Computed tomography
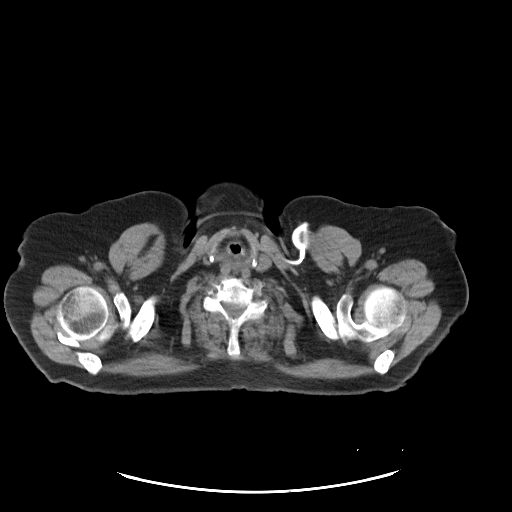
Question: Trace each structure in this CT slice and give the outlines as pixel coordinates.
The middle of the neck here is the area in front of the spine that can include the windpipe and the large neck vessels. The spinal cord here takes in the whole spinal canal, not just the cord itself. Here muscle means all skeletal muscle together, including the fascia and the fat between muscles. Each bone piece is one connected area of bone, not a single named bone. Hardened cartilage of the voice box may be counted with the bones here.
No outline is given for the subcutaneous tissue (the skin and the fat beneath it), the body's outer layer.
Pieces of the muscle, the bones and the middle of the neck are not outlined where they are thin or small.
Answer: The bones appear in 6 outlined pieces: piece 1: (77, 286) (93, 287) (103, 296) (110, 325) (120, 322) (113, 302) (117, 292) (121, 291) (127, 297) (133, 317) (146, 298) (156, 295) (151, 327) (136, 342) (119, 326) (104, 341) (93, 337) (82, 341) (79, 347) (62, 343) (57, 337) (60, 325) (56, 310) (64, 295); piece 2: (380, 285) (395, 288) (406, 300) (406, 317) (400, 327) (370, 342) (358, 339) (343, 342) (324, 334) (311, 309) (310, 299) (313, 294) (317, 294) (323, 300) (334, 316) (340, 297) (344, 293) (350, 294) (353, 299) (351, 317) (359, 324) (364, 320) (363, 303) (366, 296); piece 3: (225, 277) (241, 278) (248, 287) (262, 282) (262, 294) (259, 298) (265, 299) (268, 304) (261, 317) (246, 320) (240, 326) (238, 333) (240, 353) (236, 359) (227, 353) (229, 336) (227, 321) (220, 312) (211, 312) (203, 307) (203, 299) (211, 287) (210, 283) (218, 283); inner edge: (223, 303) (231, 303) (232, 304) (237, 304) (240, 306) (244, 306) (245, 307) (245, 308) (243, 310) (243, 311) (238, 316) (237, 316) (236, 317) (233, 317) (232, 316) (231, 316) (230, 315) (229, 315) (229, 314) (226, 311) (226, 310) (224, 308) (224, 307) (223, 306); piece 4: (76, 351) (82, 351) (83, 352) (91, 352) (92, 353) (94, 353) (96, 354) (100, 358) (101, 360) (101, 368) (98, 372) (98, 373) (96, 374) (92, 374) (88, 371) (87, 371) (83, 367) (81, 363) (78, 360) (78, 358) (75, 353); piece 5: (303, 222) (306, 222) (308, 224) (307, 225) (307, 244) (306, 245) (306, 247) (304, 250) (304, 255) (302, 255) (300, 253) (300, 251) (294, 245) (294, 244) (292, 242) (292, 239) (291, 238) (291, 235) (292, 234) (292, 232) (293, 231) (293, 230) (298, 225) (299, 225); piece 6: (386, 349) (391, 349) (393, 350) (394, 352) (394, 357) (390, 364) (389, 369) (384, 374) (379, 374) (375, 371) (374, 369) (374, 367) (373, 366) (373, 364) (374, 363) (374, 361) (376, 357) (380, 353) (381, 353) (384, 350). The middle of the neck is outlined by (231, 234) (239, 234) (248, 242) (252, 256) (251, 265) (253, 267) (257, 263) (256, 255) (258, 250) (272, 261) (271, 268) (260, 273) (232, 275) (230, 273) (224, 273) (205, 265) (202, 260) (203, 257) (209, 253) (209, 259) (212, 262) (214, 260) (213, 254) (218, 242). The torso is outlined by (146, 189) (185, 203) (192, 217) (185, 245) (195, 222) (233, 213) (264, 216) (276, 234) (282, 207) (300, 195) (378, 206) (354, 299) (378, 334) (422, 363) (417, 372) (395, 391) (354, 396) (244, 389) (119, 396) (49, 382) (25, 352) (87, 349) (113, 321) (79, 212). The right arm is outlined by (55, 211) (78, 212) (86, 224) (93, 242) (111, 307) (112, 321) (104, 336) (95, 344) (87, 348) (65, 352) (26, 352) (17, 341) (9, 325) (4, 307) (4, 287) (9, 275) (16, 267) (19, 260) (17, 247) (21, 239) (22, 231) (26, 225) (33, 219) (43, 214). The left arm is outlined by (395, 205) (419, 205) (427, 207) (435, 211) (441, 217) (457, 235) (457, 243) (455, 249) (468, 282) (469, 297) (464, 314) (453, 327) (448, 337) (437, 350) (423, 363) (406, 353) (391, 340) (378, 333) (355, 299) (355, 289) (357, 280) (378, 208) (379, 206) (389, 207). The muscle is outlined by (142, 222) (156, 223) (167, 240) (153, 285) (163, 284) (196, 240) (221, 224) (263, 230) (287, 258) (292, 257) (290, 249) (290, 229) (294, 224) (302, 222) (298, 224) (292, 230) (291, 234) (290, 235) (290, 238) (291, 242) (299, 251) (302, 256) (308, 226) (339, 226) (383, 266) (404, 258) (426, 265) (442, 309) (438, 328) (392, 367) (395, 352) (386, 348) (373, 361) (376, 373) (346, 379) (302, 379) (269, 364) (230, 360) (176, 375) (99, 373) (101, 358) (82, 350) (74, 353) (84, 369) (54, 362) (28, 321) (42, 272) (57, 264) (82, 268), around holes outlined by (77, 286) (93, 287) (103, 296) (110, 325) (120, 322) (113, 302) (117, 292) (121, 291) (127, 297) (133, 317) (146, 298) (156, 295) (151, 327) (136, 342) (119, 326) (104, 341) (93, 337) (82, 341) (79, 347) (62, 343) (57, 337) (60, 325) (56, 310) (64, 295) and by (380, 285) (395, 288) (406, 300) (406, 317) (400, 327) (370, 342) (358, 339) (343, 342) (324, 334) (311, 309) (310, 299) (313, 294) (317, 294) (323, 300) (334, 316) (340, 297) (344, 293) (350, 294) (353, 299) (351, 317) (359, 324) (364, 320) (363, 303) (366, 296) and by (225, 277) (241, 278) (248, 287) (262, 282) (262, 294) (259, 298) (265, 299) (268, 304) (261, 317) (246, 320) (240, 326) (238, 333) (240, 353) (236, 359) (227, 353) (229, 336) (227, 321) (220, 312) (211, 312) (203, 307) (203, 299) (211, 287) (210, 283) (218, 283) and by (231, 234) (239, 234) (243, 236) (250, 245) (251, 244) (253, 245) (257, 250) (268, 257) (272, 261) (271, 268) (265, 272) (260, 273) (247, 275) (232, 275) (230, 273) (224, 273) (222, 271) (205, 265) (202, 260) (203, 257) (210, 252) (214, 245) (216, 245) (223, 238) and by (309, 271) (310, 271) (311, 272) (311, 273) (313, 275) (313, 277) (314, 278) (314, 281) (315, 282) (315, 284) (309, 284) (308, 283) (307, 283) (306, 282) (306, 279) (305, 278) (305, 277) (304, 276) (304, 275) (307, 272) (308, 272). The spinal cord is outlined by (223, 303) (231, 303) (232, 304) (237, 304) (240, 306) (244, 306) (245, 307) (245, 308) (243, 310) (243, 311) (238, 316) (237, 316) (236, 317) (233, 317) (232, 316) (231, 316) (230, 315) (229, 315) (229, 314) (226, 311) (226, 310) (224, 308) (224, 307) (223, 306). The head and neck is outlined by (226, 178) (238, 179) (250, 184) (261, 195) (265, 201) (265, 211) (264, 212) (264, 215) (254, 215) (253, 214) (233, 212) (232, 213) (218, 214) (201, 221) (195, 221) (194, 218) (194, 200) (201, 192) (202, 188) (205, 185) (211, 182) (220, 179) (225, 179).